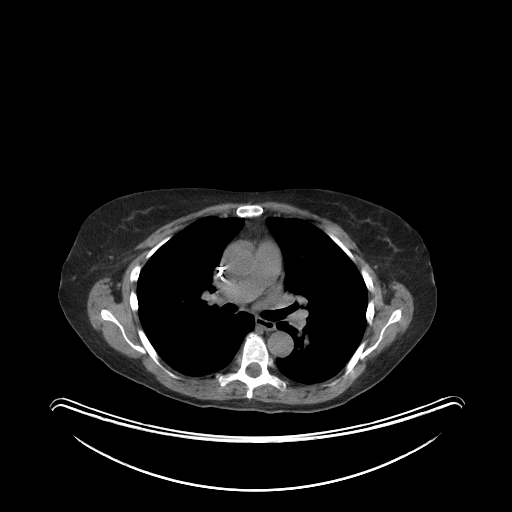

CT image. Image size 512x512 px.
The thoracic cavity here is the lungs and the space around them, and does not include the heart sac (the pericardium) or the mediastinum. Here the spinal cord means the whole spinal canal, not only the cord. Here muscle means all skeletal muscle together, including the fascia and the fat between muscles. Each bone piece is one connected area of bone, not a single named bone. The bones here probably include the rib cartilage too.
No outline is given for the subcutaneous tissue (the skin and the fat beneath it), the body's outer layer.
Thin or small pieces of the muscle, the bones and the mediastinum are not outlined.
The thoracic cavity appears in 2 outlined pieces: piece 1: [[205,216],[236,216],[244,219],[241,229],[224,247],[219,263],[213,270],[212,283],[226,301],[241,312],[253,317],[254,326],[245,335],[239,353],[225,371],[196,376],[176,371],[160,358],[142,328],[138,314],[136,288],[142,267],[151,256],[177,232]]; piece 2: [[269,216],[307,220],[322,230],[355,264],[367,290],[366,325],[361,341],[344,367],[323,381],[312,383],[295,381],[280,374],[275,363],[276,358],[285,358],[292,352],[294,340],[289,333],[277,326],[276,307],[284,294],[285,270],[281,248],[266,223]]. The mediastinum is outlined by [[264,213],[282,215],[269,215],[265,223],[280,248],[283,260],[283,294],[275,307],[276,326],[293,340],[291,352],[285,357],[274,359],[264,339],[252,331],[254,317],[226,300],[213,283],[214,270],[220,263],[223,251],[242,229],[245,219],[259,217]]; inner edge: [[251,237],[270,237],[274,241],[274,244],[279,251],[281,259],[282,290],[274,301],[268,306],[263,308],[243,308],[240,307],[226,298],[219,291],[217,286],[217,274],[220,269],[221,262],[223,260],[223,257],[227,247],[237,240],[240,239],[244,240]]. The muscle appears in 2 outlined pieces: piece 1: [[226,202],[253,203],[239,204],[234,214],[198,217],[173,235],[163,237],[148,250],[144,264],[137,263],[130,270],[129,281],[136,283],[136,287],[129,292],[128,302],[131,310],[137,312],[141,325],[136,329],[140,344],[128,337],[124,327],[110,310],[107,308],[100,310],[100,317],[114,323],[124,340],[133,349],[141,354],[147,354],[171,378],[179,377],[160,359],[174,371],[184,375],[196,377],[214,375],[221,387],[236,380],[245,384],[246,398],[198,399],[166,387],[146,370],[138,359],[130,358],[111,347],[101,333],[91,325],[87,314],[87,299],[89,291],[99,279],[108,277],[115,284],[120,282],[128,265],[139,252],[135,247],[159,227],[207,206]]; piece 2: [[264,201],[291,204],[336,223],[354,241],[362,257],[375,272],[382,287],[387,288],[395,280],[402,283],[413,298],[413,315],[405,331],[372,359],[365,370],[346,390],[323,402],[286,404],[248,399],[253,397],[254,389],[268,384],[283,392],[288,382],[282,376],[298,383],[312,384],[323,382],[343,369],[340,377],[346,378],[354,373],[356,364],[379,345],[385,330],[401,319],[402,310],[399,307],[391,312],[376,340],[367,346],[367,340],[362,339],[367,324],[370,326],[372,324],[375,314],[375,300],[368,297],[368,292],[373,293],[375,290],[369,272],[364,266],[359,269],[357,267],[353,253],[330,230],[327,229],[325,232],[307,219],[265,212],[264,208],[256,203]]; inner edge: [[336,379],[339,379],[339,380],[335,384],[334,384],[333,385],[332,385],[331,386],[330,386],[329,385],[326,385],[326,384],[327,384],[328,383],[329,383],[330,382],[331,382],[332,381],[333,381],[334,380],[335,380]]. The bones appear in 10 outlined pieces: piece 1: [[250,332],[259,335],[263,339],[269,355],[274,360],[278,373],[286,380],[286,387],[283,391],[266,383],[255,387],[252,391],[252,397],[247,398],[247,386],[242,381],[236,379],[221,386],[215,377],[216,373],[225,372],[232,365],[241,351],[246,335]] with a hole at [[251,363],[257,363],[259,365],[259,366],[260,367],[260,373],[258,375],[257,375],[256,376],[251,376],[250,375],[249,375],[246,372],[246,368]]; piece 2: [[102,309],[107,309],[112,313],[123,327],[127,337],[135,344],[141,344],[137,332],[137,329],[141,328],[159,356],[160,362],[178,378],[173,378],[167,374],[147,353],[141,353],[133,348],[125,340],[119,327],[114,322],[110,320],[105,320],[101,317]]; piece 3: [[399,308],[401,310],[400,319],[391,323],[384,330],[382,339],[378,345],[355,364],[353,367],[353,373],[351,374],[350,373],[344,378],[341,377],[344,372],[346,364],[362,340],[366,340],[367,347],[371,346],[379,337],[381,329],[389,319],[392,312]]; piece 4: [[255,203],[256,204],[259,204],[263,208],[264,210],[264,212],[261,215],[259,216],[255,216],[254,217],[246,217],[245,218],[243,218],[242,217],[239,217],[235,215],[235,211],[237,207],[239,205],[241,205],[242,204],[254,204]]; piece 5: [[327,230],[328,230],[329,231],[330,231],[333,234],[334,234],[346,246],[346,247],[352,253],[352,254],[353,255],[353,256],[354,257],[354,258],[355,259],[355,262],[354,262],[344,252],[344,251],[326,233],[326,231]]; piece 6: [[362,267],[364,267],[365,268],[365,269],[368,272],[368,273],[370,275],[372,279],[372,282],[373,283],[373,286],[374,287],[374,290],[373,292],[370,292],[368,291],[366,287],[365,282],[360,272],[360,269]]; piece 7: [[370,299],[373,299],[374,300],[374,314],[373,315],[373,318],[372,319],[372,321],[371,322],[371,324],[370,325],[369,324],[368,324],[367,323],[367,322],[366,321],[366,310],[367,309],[367,305],[368,304],[368,301]]; piece 8: [[169,235],[170,235],[171,237],[165,243],[164,243],[160,247],[159,247],[150,256],[150,257],[147,260],[146,260],[145,257],[147,253],[149,251],[149,250],[151,249],[155,245],[156,245],[163,238]]; piece 9: [[132,290],[134,290],[135,291],[135,293],[136,294],[136,296],[137,297],[137,304],[138,305],[138,308],[137,309],[137,311],[136,312],[134,312],[132,310],[132,309],[131,308],[131,307],[130,306],[130,303],[129,302],[129,296],[130,295],[130,292]]; piece 10: [[137,264],[139,264],[142,266],[141,267],[141,269],[139,272],[139,275],[138,276],[138,278],[137,279],[137,281],[136,282],[131,282],[130,281],[130,273],[131,272],[131,270],[133,268],[133,267],[135,265],[136,265]]. The spinal cord is outlined by [[251,363],[257,363],[259,365],[259,366],[260,367],[260,373],[258,375],[257,375],[256,376],[251,376],[250,375],[249,375],[246,372],[246,368]]. The torso is outlined by [[171,187],[237,191],[323,188],[357,196],[390,209],[420,234],[429,252],[437,289],[437,307],[431,325],[417,344],[377,384],[340,406],[311,413],[198,407],[159,394],[116,373],[88,349],[61,309],[57,292],[62,264],[81,223],[93,210],[125,194]]. The pericardium is outlined by [[251,237],[270,237],[274,241],[274,244],[279,251],[281,259],[282,290],[274,301],[268,306],[263,308],[243,308],[240,307],[226,298],[219,291],[217,286],[217,274],[220,269],[221,262],[223,260],[223,257],[227,247],[237,240],[240,239],[244,240]].